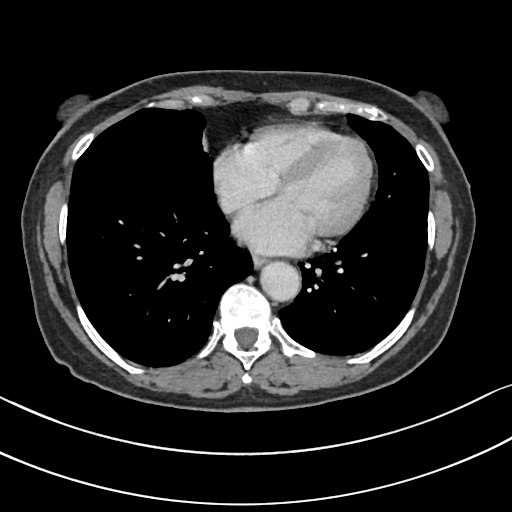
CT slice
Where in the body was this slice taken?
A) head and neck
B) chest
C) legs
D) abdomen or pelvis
B) chest
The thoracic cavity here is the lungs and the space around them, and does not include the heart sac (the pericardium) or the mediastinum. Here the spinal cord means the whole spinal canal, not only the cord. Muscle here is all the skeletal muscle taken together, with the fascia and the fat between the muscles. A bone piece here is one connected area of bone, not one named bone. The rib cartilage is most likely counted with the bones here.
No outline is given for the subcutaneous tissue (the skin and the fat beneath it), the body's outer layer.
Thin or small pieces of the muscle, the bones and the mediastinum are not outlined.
{"pericardium":[[[272,115],[290,118],[323,118],[339,122],[365,140],[371,148],[377,164],[375,193],[361,219],[329,251],[315,253],[310,257],[299,260],[290,260],[282,257],[263,258],[241,244],[234,237],[230,222],[222,212],[214,192],[213,155],[224,138],[254,120]]],"torso":[[[201,69],[353,75],[403,92],[426,90],[445,104],[451,119],[444,130],[470,184],[475,232],[447,332],[409,374],[312,406],[215,412],[124,397],[79,379],[54,360],[35,317],[20,218],[33,170],[58,132],[56,109],[80,92],[98,98],[153,75]]],"muscle":[[[197,84],[253,92],[312,90],[368,103],[319,100],[313,108],[322,113],[303,113],[311,106],[306,97],[290,100],[287,108],[259,99],[200,106],[212,98],[194,93],[185,97],[191,105],[179,98],[152,100],[97,135],[93,129],[85,132],[70,152],[75,163],[69,196],[59,208],[57,222],[59,242],[66,245],[69,273],[79,301],[74,307],[81,326],[100,351],[132,375],[145,370],[125,359],[146,367],[167,367],[193,356],[206,358],[219,344],[242,364],[240,379],[246,385],[252,382],[248,371],[271,349],[274,340],[288,358],[298,355],[314,359],[318,353],[349,355],[353,356],[345,361],[348,364],[367,364],[378,357],[403,335],[414,318],[418,301],[412,302],[424,273],[427,249],[433,249],[436,238],[435,215],[428,207],[428,173],[434,171],[435,162],[421,141],[413,146],[386,123],[385,111],[433,147],[460,235],[449,282],[431,315],[395,355],[361,379],[292,395],[269,393],[255,385],[218,398],[154,391],[131,383],[94,356],[50,299],[36,230],[44,197],[70,145],[96,123],[141,99]]],"mediastinum":[[[254,100],[285,108],[294,115],[347,114],[347,123],[352,129],[339,121],[323,117],[290,117],[279,114],[262,116],[226,135],[217,146],[212,158],[204,150],[202,142],[203,129],[206,124],[205,117],[199,111],[193,109],[179,109],[185,106],[213,107]],[[230,225],[233,237],[253,254],[263,259],[282,258],[299,261],[310,258],[315,254],[323,254],[298,263],[301,271],[301,287],[293,301],[280,308],[276,315],[272,313],[266,297],[257,288],[239,282],[252,272],[253,263],[248,251],[239,246],[232,238]]],"thoracic_cavity":[[[143,108],[187,109],[204,117],[201,142],[212,159],[215,201],[229,225],[231,238],[247,251],[252,263],[251,272],[220,296],[218,317],[212,320],[204,345],[179,363],[157,367],[124,358],[93,325],[76,293],[66,244],[68,202],[77,160],[104,130]],[[348,114],[391,126],[413,147],[428,177],[427,248],[415,295],[399,322],[368,350],[354,355],[337,355],[317,352],[295,340],[283,327],[277,314],[294,301],[302,287],[299,263],[329,252],[356,226],[375,199],[378,188],[377,160],[366,140],[348,123]]],"spinal_cord":[[[245,327],[247,327],[248,328],[253,328],[254,329],[256,329],[257,331],[257,336],[256,337],[256,339],[252,344],[252,346],[248,349],[241,348],[239,346],[238,341],[236,339],[236,337],[235,336],[235,332],[236,330],[241,328],[244,328]]],"bones":[{"outer":[[236,283],[257,289],[285,331],[295,341],[316,352],[316,357],[285,356],[274,339],[270,349],[259,356],[247,371],[251,377],[251,382],[247,384],[241,379],[245,372],[243,364],[220,343],[206,357],[195,358],[212,332],[213,320],[219,317],[221,296]],"hole":[[245,327],[247,327],[248,328],[253,328],[254,329],[256,329],[257,331],[257,336],[256,337],[256,339],[252,344],[252,346],[248,349],[241,348],[239,346],[238,341],[236,339],[236,337],[235,336],[235,332],[236,330],[241,328],[244,328]]},[[77,302],[79,302],[88,319],[98,333],[127,363],[142,368],[144,370],[143,373],[135,373],[132,374],[128,372],[125,369],[114,362],[101,350],[100,350],[100,349],[89,337],[79,320],[79,318],[77,315],[76,308],[75,307]],[[416,300],[417,301],[416,303],[416,310],[414,313],[413,318],[410,324],[402,335],[392,345],[391,345],[378,356],[375,357],[372,360],[367,363],[348,363],[346,361],[351,357],[358,356],[368,351],[377,343],[388,335],[400,322],[405,314]],[[319,101],[333,101],[338,103],[353,103],[354,104],[368,104],[369,105],[374,105],[381,109],[387,115],[387,119],[385,122],[383,122],[382,121],[370,120],[365,117],[353,113],[339,113],[338,112],[326,112],[323,113],[321,111],[314,108],[314,105]],[[92,130],[93,130],[96,133],[96,136],[90,143],[88,147],[76,160],[76,161],[73,161],[70,157],[71,155],[71,152],[73,148],[75,146],[75,145],[77,143],[79,139],[85,133],[89,131],[91,131]],[[417,142],[421,142],[430,154],[430,155],[434,162],[434,169],[433,170],[433,171],[432,171],[431,172],[428,172],[425,168],[424,165],[418,157],[418,156],[415,151],[415,149],[414,148],[414,145]],[[64,202],[67,202],[67,224],[66,225],[66,232],[65,233],[65,243],[64,244],[62,244],[60,242],[60,239],[59,238],[59,231],[58,230],[58,222],[59,221],[59,212],[60,211],[60,208],[61,207],[61,206],[62,205],[62,204]],[[429,209],[431,209],[432,210],[433,212],[433,214],[434,215],[434,218],[435,219],[435,238],[434,239],[434,242],[433,243],[433,247],[432,249],[430,250],[428,249],[428,245],[427,244],[427,215],[428,214],[428,210]],[[167,99],[179,99],[180,100],[183,100],[184,101],[184,106],[181,108],[179,108],[178,109],[175,109],[174,108],[163,108],[162,107],[146,107],[146,105],[149,102],[151,102],[152,101],[154,101],[155,102],[158,102],[159,101],[163,101]],[[296,98],[306,98],[310,102],[310,106],[309,107],[309,108],[306,111],[304,111],[301,114],[294,114],[293,113],[292,113],[288,109],[288,107],[287,106],[287,105],[288,104],[288,103],[290,101],[291,101],[292,100],[293,100],[294,99],[295,99]]]}